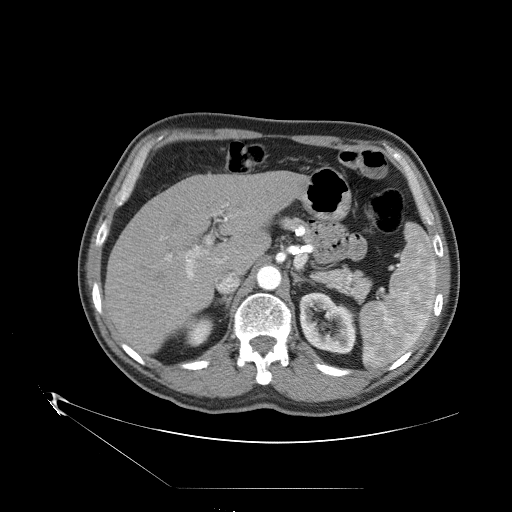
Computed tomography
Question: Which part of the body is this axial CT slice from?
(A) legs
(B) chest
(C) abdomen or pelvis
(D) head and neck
Answer: (C) abdomen or pelvis
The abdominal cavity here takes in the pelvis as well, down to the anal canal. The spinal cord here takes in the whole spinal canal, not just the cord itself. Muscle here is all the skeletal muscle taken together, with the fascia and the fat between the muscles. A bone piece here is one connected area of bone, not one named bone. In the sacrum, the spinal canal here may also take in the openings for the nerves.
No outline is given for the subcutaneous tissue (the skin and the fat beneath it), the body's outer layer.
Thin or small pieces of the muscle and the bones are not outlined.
{"bones":[{"outer":[[258,292],[277,296],[286,304],[291,314],[291,329],[287,341],[288,364],[283,366],[279,360],[271,362],[267,367],[271,380],[265,385],[256,382],[257,367],[254,362],[247,361],[242,366],[237,365],[239,340],[233,331],[234,314],[238,306],[248,295]],"hole":[[261,335],[262,336],[269,336],[270,337],[272,337],[275,339],[275,343],[272,346],[271,349],[270,349],[265,353],[261,353],[260,352],[259,352],[257,350],[254,349],[253,348],[253,347],[251,345],[251,340],[253,338],[254,338],[257,336],[260,336]]},[[386,146],[391,147],[395,151],[399,153],[406,161],[415,174],[423,196],[429,207],[430,211],[433,215],[433,224],[432,225],[426,224],[423,221],[420,215],[415,198],[412,193],[412,191],[404,173],[403,168],[399,162],[397,161],[388,151],[386,148]],[[150,141],[152,141],[153,143],[147,154],[147,156],[144,160],[144,163],[137,178],[135,180],[129,195],[121,205],[117,206],[114,201],[114,198],[120,189],[122,183],[126,177],[130,167],[132,165],[134,158],[140,148]],[[315,363],[320,363],[321,364],[327,364],[328,365],[336,366],[340,368],[348,368],[349,369],[351,369],[352,371],[349,374],[346,374],[345,375],[340,375],[339,376],[334,376],[333,375],[329,375],[328,374],[323,373],[321,371],[320,371],[315,366]],[[104,220],[106,220],[107,221],[107,223],[109,227],[109,229],[108,230],[108,233],[106,236],[106,238],[103,244],[101,246],[96,246],[95,244],[95,241],[96,240],[96,235],[97,234],[97,232],[101,224]],[[94,282],[96,282],[98,284],[98,286],[99,287],[99,291],[100,292],[100,297],[101,298],[101,306],[102,307],[102,313],[99,313],[96,310],[96,309],[94,306],[94,304],[93,303],[93,300],[92,299],[92,288],[93,287],[93,283]],[[194,360],[208,360],[209,361],[209,363],[208,364],[208,365],[206,367],[204,367],[203,368],[201,368],[200,369],[186,369],[185,368],[182,368],[180,366],[180,365],[181,365],[182,364],[182,363],[183,363],[184,362],[189,362],[190,361],[193,361]],[[435,233],[437,233],[439,235],[439,236],[441,239],[441,242],[442,243],[442,247],[443,248],[443,255],[441,257],[439,257],[438,256],[437,256],[436,255],[436,254],[435,253],[435,251],[434,250],[434,246],[433,245],[433,243],[432,242],[432,237]],[[121,343],[124,343],[125,344],[126,344],[133,350],[134,350],[144,360],[144,361],[145,362],[145,364],[144,365],[143,365],[142,364],[139,363],[133,358],[132,358],[128,354],[127,354],[126,353],[126,352],[122,348],[122,347],[121,346]],[[410,350],[411,350],[412,351],[412,353],[410,355],[410,356],[402,364],[399,365],[397,367],[396,367],[391,370],[388,370],[387,369],[387,368],[392,363],[393,363],[396,360],[397,360],[400,357],[401,357],[404,354],[405,354],[408,351],[409,351]],[[439,292],[440,293],[441,293],[442,294],[442,307],[441,308],[441,311],[440,312],[440,313],[437,316],[436,316],[433,313],[433,308],[434,307],[434,302],[435,301],[435,298],[436,297],[436,295]]],"muscle":[[[163,128],[235,128],[261,133],[387,140],[404,151],[431,193],[450,262],[445,313],[419,359],[395,378],[345,399],[296,401],[266,385],[272,380],[268,369],[271,363],[279,361],[283,367],[289,364],[292,320],[300,341],[326,363],[314,363],[323,374],[339,377],[349,375],[352,369],[391,371],[402,365],[413,353],[432,315],[437,317],[442,311],[438,257],[444,255],[444,248],[440,235],[435,232],[432,236],[428,228],[427,225],[434,224],[434,215],[416,174],[391,146],[385,148],[403,173],[380,149],[342,149],[283,137],[256,137],[169,142],[155,149],[145,166],[154,142],[143,144],[113,198],[117,207],[110,225],[104,219],[96,232],[94,244],[102,246],[100,289],[96,281],[92,283],[91,299],[99,314],[103,309],[121,348],[143,366],[146,364],[143,357],[148,357],[167,367],[206,368],[208,359],[196,359],[219,345],[232,326],[238,340],[236,365],[254,363],[254,379],[258,384],[236,396],[198,397],[176,391],[122,360],[101,335],[90,305],[85,268],[87,253],[99,215],[131,151],[143,137]]],"abdominal_cavity":[[[256,138],[380,150],[405,176],[431,235],[437,293],[418,341],[387,367],[358,369],[322,360],[299,338],[287,304],[262,291],[239,303],[219,344],[179,365],[142,357],[116,335],[102,306],[102,249],[114,212],[130,195],[143,166],[155,150],[169,143]]],"torso":[[[192,111],[272,119],[362,122],[395,133],[413,148],[449,213],[459,251],[460,283],[457,306],[445,336],[412,377],[365,407],[341,415],[301,417],[270,408],[210,415],[152,395],[109,359],[90,328],[78,291],[77,260],[87,218],[134,136],[158,119]]],"spinal_cord":[[[261,335],[262,336],[269,336],[270,337],[272,337],[275,339],[275,343],[272,346],[271,349],[270,349],[265,353],[261,353],[260,352],[259,352],[257,350],[254,349],[253,348],[253,347],[251,345],[251,340],[253,338],[254,338],[257,336],[260,336]]]}